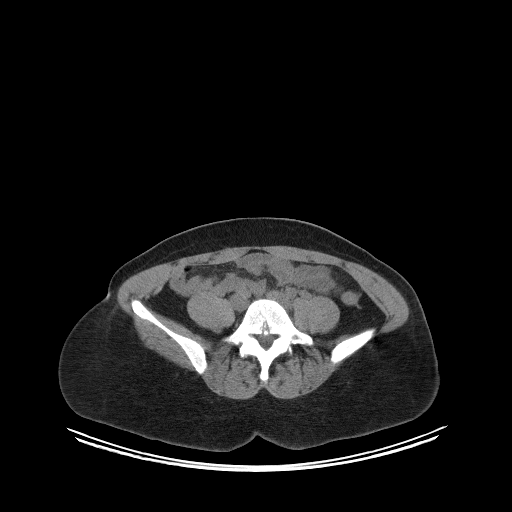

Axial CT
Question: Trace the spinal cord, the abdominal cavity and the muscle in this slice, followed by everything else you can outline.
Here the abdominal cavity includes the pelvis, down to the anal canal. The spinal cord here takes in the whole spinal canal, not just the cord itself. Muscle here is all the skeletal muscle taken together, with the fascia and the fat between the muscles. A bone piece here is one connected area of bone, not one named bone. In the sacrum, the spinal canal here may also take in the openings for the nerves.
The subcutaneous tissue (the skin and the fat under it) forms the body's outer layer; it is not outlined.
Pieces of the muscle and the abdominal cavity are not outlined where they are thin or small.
Answer: The spinal cord is outlined by (258, 335) (264, 335) (265, 336) (266, 336) (267, 335) (274, 335) (275, 336) (275, 337) (273, 339) (273, 340) (272, 341) (272, 342) (271, 343) (271, 344) (267, 348) (264, 348) (260, 344) (260, 343) (259, 342) (259, 341) (258, 340) (258, 339) (257, 338) (257, 336). The abdominal cavity is outlined by (252, 249) (269, 251) (284, 259) (341, 268) (381, 311) (383, 321) (328, 339) (314, 337) (336, 326) (340, 309) (331, 298) (309, 293) (292, 300) (291, 317) (276, 299) (255, 298) (238, 325) (217, 339) (196, 333) (157, 312) (148, 300) (164, 287) (178, 266) (237, 261), around a hole outlined by (205, 291) (213, 292) (220, 298) (231, 300) (236, 307) (235, 309) (235, 323) (230, 327) (224, 329) (223, 331) (220, 333) (214, 332) (207, 328) (200, 326) (190, 317) (188, 313) (187, 310) (187, 303) (190, 298) (193, 296) (194, 294) (196, 294) (199, 292) (204, 292). The muscle appears in 2 outlined pieces: piece 1: (250, 245) (288, 245) (361, 264) (400, 292) (409, 308) (408, 318) (400, 327) (378, 335) (365, 345) (385, 316) (358, 282) (334, 264) (284, 258) (269, 250) (252, 248) (237, 260) (178, 265) (163, 287) (147, 300) (149, 306) (196, 334) (211, 340) (221, 338) (223, 343) (237, 346) (240, 358) (255, 357) (260, 367) (258, 378) (264, 383) (276, 358) (291, 354) (293, 345) (314, 344) (313, 337) (300, 330) (292, 319) (290, 306) (295, 298) (307, 294) (324, 296) (339, 309) (335, 326) (314, 338) (328, 340) (367, 328) (331, 348) (329, 361) (333, 365) (352, 355) (306, 395) (281, 399) (262, 389) (243, 400) (219, 396) (195, 372) (144, 346) (131, 318) (117, 305) (117, 291) (127, 278) (154, 265) (225, 247); inner edge: (132, 299) (137, 299) (139, 300) (159, 321) (169, 329) (178, 334) (191, 338) (203, 346) (206, 356) (207, 368) (202, 374) (199, 374) (196, 371) (195, 368) (192, 365) (190, 360) (182, 348) (170, 336) (156, 325) (147, 320) (142, 319) (134, 313) (130, 304) (130, 302); piece 2: (205, 291) (213, 292) (220, 298) (231, 300) (236, 307) (235, 309) (235, 323) (230, 327) (224, 329) (223, 331) (220, 333) (214, 332) (207, 328) (200, 326) (190, 317) (188, 313) (187, 310) (187, 303) (190, 298) (193, 296) (194, 294) (196, 294) (199, 292) (204, 292). The torso is outlined by (260, 216) (293, 218) (327, 228) (367, 250) (410, 283) (423, 308) (438, 360) (441, 381) (431, 406) (403, 424) (315, 447) (287, 449) (257, 435) (227, 452) (147, 439) (76, 414) (59, 388) (59, 354) (74, 324) (106, 295) (114, 272) (128, 260) (178, 232) (218, 220). The bones appear in 3 outlined pieces: piece 1: (259, 298) (271, 298) (279, 302) (286, 309) (294, 325) (300, 331) (310, 335) (313, 340) (311, 346) (293, 344) (291, 353) (285, 352) (276, 357) (269, 366) (266, 382) (259, 378) (261, 367) (255, 356) (240, 357) (237, 345) (221, 340) (239, 325) (248, 305) (253, 300) with a hole at (258, 335) (264, 335) (265, 336) (266, 336) (267, 335) (274, 335) (275, 336) (275, 337) (273, 339) (273, 340) (272, 341) (272, 342) (271, 343) (271, 344) (267, 348) (264, 348) (260, 344) (260, 343) (259, 342) (259, 341) (258, 340) (258, 339) (257, 338) (257, 336); piece 2: (132, 299) (137, 299) (139, 300) (159, 321) (169, 329) (178, 334) (191, 338) (203, 346) (206, 356) (207, 368) (202, 374) (199, 374) (196, 371) (195, 368) (192, 365) (190, 360) (182, 348) (170, 336) (156, 325) (147, 320) (142, 319) (134, 313) (130, 304) (130, 302); piece 3: (371, 327) (374, 327) (375, 328) (375, 332) (374, 333) (374, 335) (373, 337) (363, 346) (362, 346) (349, 356) (346, 357) (341, 361) (335, 364) (333, 364) (330, 361) (330, 352) (332, 348) (337, 343) (340, 342) (342, 340) (348, 337) (350, 337) (363, 330) (365, 330).